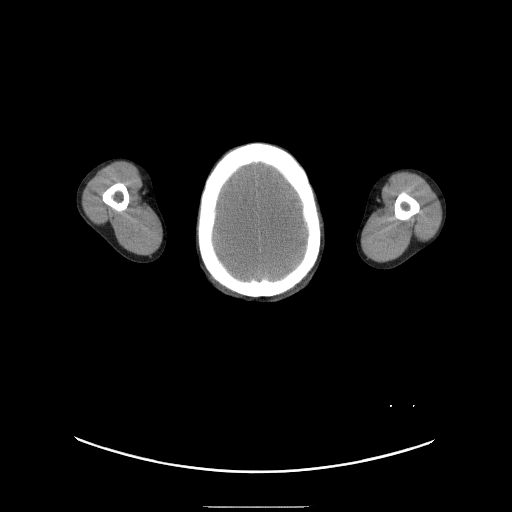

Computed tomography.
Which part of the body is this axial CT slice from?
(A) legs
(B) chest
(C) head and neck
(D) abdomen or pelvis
(C) head and neck
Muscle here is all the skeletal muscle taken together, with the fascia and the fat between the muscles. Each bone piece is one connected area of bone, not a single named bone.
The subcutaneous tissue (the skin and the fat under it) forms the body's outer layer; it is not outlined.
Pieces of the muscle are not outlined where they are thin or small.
{"head":[[[256,141],[278,144],[293,154],[304,168],[309,181],[317,194],[325,220],[325,249],[321,264],[313,279],[301,291],[286,299],[273,303],[245,302],[224,295],[212,288],[204,278],[198,266],[194,247],[194,226],[196,213],[205,180],[212,166],[229,148]]],"muscle":[{"outer":[[401,171],[416,173],[429,184],[440,201],[442,209],[441,222],[436,233],[428,240],[423,242],[416,241],[412,243],[399,257],[393,260],[386,262],[376,262],[368,258],[363,252],[361,247],[361,234],[370,216],[372,207],[381,184],[386,181],[392,174]],"hole":[[402,191],[404,191],[406,192],[412,197],[413,197],[418,202],[419,204],[419,211],[417,213],[411,216],[409,218],[409,219],[407,220],[400,220],[394,217],[394,203],[395,202],[395,200],[398,194]]},{"outer":[[115,161],[129,162],[138,169],[140,175],[145,182],[149,198],[149,205],[155,212],[160,221],[162,228],[162,240],[158,249],[150,256],[138,255],[123,248],[117,242],[114,235],[108,229],[93,223],[85,214],[82,208],[81,196],[86,184],[100,169]],"hole":[[116,182],[122,182],[124,183],[127,188],[127,190],[128,191],[128,194],[129,195],[129,202],[127,205],[127,207],[124,210],[120,211],[119,212],[118,211],[114,210],[110,206],[106,204],[102,199],[102,194],[103,192],[108,187],[109,187]]}],"brain":[[[252,163],[262,163],[277,170],[296,192],[301,204],[301,215],[305,223],[307,232],[303,255],[293,269],[277,279],[268,279],[263,277],[261,279],[252,278],[247,280],[234,276],[219,258],[213,243],[213,229],[216,219],[216,207],[221,189],[239,168]]],"bones":[{"outer":[[248,142],[267,142],[274,144],[287,150],[296,158],[304,168],[313,188],[320,219],[320,250],[315,264],[305,277],[292,288],[283,293],[272,296],[253,297],[243,295],[223,286],[207,271],[198,249],[196,227],[200,196],[205,180],[216,162],[228,150]],"hole":[[252,163],[262,163],[277,170],[296,192],[301,204],[301,215],[305,223],[307,232],[303,255],[293,269],[277,279],[268,279],[263,277],[261,279],[252,278],[247,280],[234,276],[219,258],[213,243],[213,229],[216,219],[216,207],[221,189],[239,168]]},[[116,182],[122,182],[124,183],[127,188],[127,190],[128,191],[128,194],[129,195],[129,202],[127,205],[127,207],[124,210],[120,211],[119,212],[118,211],[114,210],[110,206],[106,204],[102,199],[102,194],[103,192],[108,187],[109,187]],[[402,191],[404,191],[406,192],[412,197],[413,197],[418,202],[419,204],[419,211],[417,213],[411,216],[409,218],[409,219],[407,220],[400,220],[394,217],[394,203],[395,202],[395,200],[398,194]]],"right_arm":[[[113,157],[129,158],[145,168],[150,175],[155,198],[158,207],[163,216],[167,231],[166,245],[164,251],[159,258],[152,262],[138,263],[131,261],[122,256],[102,237],[86,224],[76,209],[76,202],[75,201],[76,191],[78,185],[83,177],[96,165]]],"left_arm":[[[403,167],[412,167],[419,169],[427,173],[437,183],[443,193],[446,202],[447,211],[445,223],[439,236],[432,243],[416,253],[409,259],[391,269],[376,269],[367,265],[358,255],[356,250],[356,233],[362,219],[368,194],[373,184],[382,175],[387,172]]]}